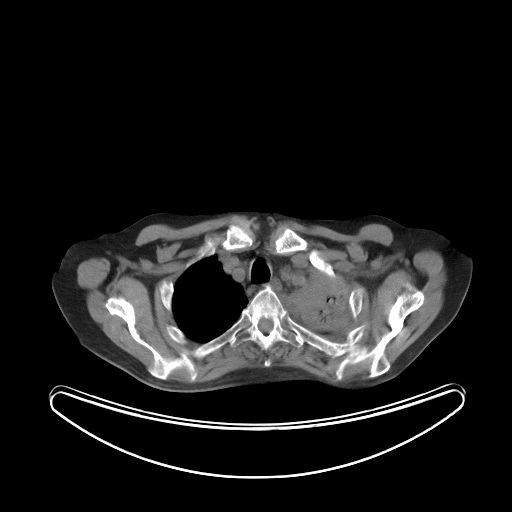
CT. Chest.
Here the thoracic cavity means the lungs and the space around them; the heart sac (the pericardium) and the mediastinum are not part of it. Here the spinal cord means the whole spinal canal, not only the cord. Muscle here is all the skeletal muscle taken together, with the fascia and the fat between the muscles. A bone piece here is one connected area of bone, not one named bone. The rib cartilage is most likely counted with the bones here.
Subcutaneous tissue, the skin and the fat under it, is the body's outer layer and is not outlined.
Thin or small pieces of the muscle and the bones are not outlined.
The bones appear in 9 outlined pieces: piece 1: [[267,285],[293,320],[331,341],[364,324],[357,344],[368,351],[391,329],[388,310],[399,295],[420,290],[424,299],[387,343],[386,372],[369,378],[368,358],[348,364],[338,380],[345,356],[306,342],[264,350],[246,340],[201,358],[189,353],[226,331]]; inner edge: [[261,318],[265,318],[266,319],[270,319],[271,320],[271,321],[272,322],[272,328],[269,331],[269,332],[268,333],[267,333],[266,334],[265,334],[264,333],[263,333],[259,329],[259,328],[258,327],[258,324],[259,323],[259,321],[261,319]]; piece 2: [[113,296],[121,296],[132,305],[137,332],[163,357],[178,357],[182,352],[188,355],[197,371],[192,382],[189,381],[184,367],[174,369],[164,380],[153,376],[148,371],[154,362],[153,354],[132,337],[126,322],[121,317],[111,314],[106,308],[107,299]]; piece 3: [[284,227],[288,227],[292,229],[296,233],[301,236],[307,242],[308,244],[307,248],[305,250],[298,250],[297,251],[294,251],[293,252],[290,252],[289,253],[286,253],[285,254],[276,253],[275,251],[275,239],[277,237],[277,236],[278,236],[283,231]]; piece 4: [[229,225],[232,225],[236,227],[240,227],[245,230],[249,234],[249,235],[253,239],[254,239],[254,241],[252,245],[244,249],[243,248],[238,248],[237,249],[234,249],[233,250],[227,250],[223,248],[221,245],[221,241],[224,238],[225,236],[225,230]]; piece 5: [[212,235],[217,235],[216,237],[218,238],[218,244],[216,247],[215,253],[212,255],[206,256],[196,261],[194,263],[191,264],[187,268],[186,268],[186,265],[189,261],[190,258],[196,252],[200,245],[205,240],[206,237],[208,236],[210,237]]; piece 6: [[313,248],[315,248],[317,249],[320,252],[321,254],[321,256],[327,262],[330,263],[332,267],[332,269],[335,274],[335,276],[334,277],[331,277],[327,275],[325,273],[315,268],[311,264],[309,260],[308,255],[309,254],[309,252],[310,250]]; piece 7: [[163,280],[166,280],[167,281],[170,280],[171,281],[172,281],[174,284],[173,285],[173,294],[172,295],[172,299],[171,300],[171,312],[170,312],[166,309],[166,308],[162,303],[162,301],[161,300],[161,298],[160,297],[160,293],[159,292],[159,287]]; piece 8: [[358,287],[361,287],[363,290],[363,293],[362,294],[362,306],[361,307],[361,310],[360,312],[356,316],[356,317],[354,318],[352,316],[351,309],[349,305],[349,296],[350,295],[350,293],[351,291],[353,289],[355,289]]; piece 9: [[168,324],[169,325],[176,325],[183,332],[183,333],[185,335],[185,336],[186,337],[186,342],[185,343],[184,343],[183,344],[181,344],[180,343],[177,343],[176,342],[173,341],[167,335],[167,334],[166,333],[166,331],[165,330],[165,326]]. The torso is outlined by [[230,210],[276,211],[300,218],[329,219],[379,214],[406,226],[431,228],[440,232],[439,255],[470,285],[450,324],[403,372],[376,386],[340,390],[311,381],[286,381],[202,392],[161,390],[80,345],[53,295],[52,273],[74,242],[121,230],[146,215]]. The left arm is outlined by [[441,232],[446,236],[447,236],[458,246],[463,249],[467,250],[471,254],[472,256],[472,260],[473,261],[473,269],[472,270],[472,276],[471,277],[471,281],[470,282],[464,279],[440,255],[440,253],[438,249],[438,244],[439,243],[439,239],[440,238]]. The muscle is outlined by [[226,214],[289,219],[345,234],[369,223],[386,225],[393,241],[381,247],[384,255],[411,260],[426,248],[441,254],[443,306],[391,367],[386,347],[424,303],[420,289],[396,297],[387,310],[390,329],[370,350],[358,344],[364,323],[344,341],[331,340],[322,335],[343,329],[361,312],[363,288],[348,292],[315,247],[308,259],[286,254],[309,245],[288,226],[274,239],[274,251],[262,242],[248,248],[255,239],[229,224],[220,241],[224,249],[216,252],[217,234],[206,236],[176,281],[161,281],[161,303],[175,322],[164,326],[166,335],[181,345],[187,338],[200,343],[188,352],[196,359],[246,341],[264,351],[276,342],[306,343],[344,356],[334,372],[338,381],[348,365],[370,359],[368,378],[332,383],[298,367],[270,366],[266,358],[266,367],[208,381],[166,380],[184,368],[192,383],[198,375],[193,360],[185,351],[165,357],[144,340],[133,305],[121,295],[109,296],[104,306],[153,362],[147,370],[113,343],[87,310],[77,267],[92,257],[112,264],[149,259],[148,246],[135,245],[144,227],[180,228]]. The mediastinum is outlined by [[262,243],[267,245],[276,254],[299,254],[308,260],[311,265],[309,267],[309,276],[297,288],[290,292],[278,295],[273,288],[267,284],[256,291],[249,299],[243,286],[234,280],[230,275],[225,273],[216,253],[219,253],[223,250],[239,252],[255,248]]. The thoracic cavity appears in 2 outlined pieces: piece 1: [[215,254],[221,264],[224,273],[230,276],[234,281],[239,283],[242,286],[244,293],[249,300],[247,304],[241,310],[238,318],[226,330],[217,336],[201,343],[187,337],[184,332],[176,324],[172,312],[174,285],[180,276],[191,265],[206,257],[209,257]]; piece 2: [[311,266],[331,278],[335,277],[344,286],[347,292],[349,293],[348,305],[352,317],[343,328],[339,330],[335,330],[329,334],[322,334],[321,335],[297,322],[292,318],[288,310],[284,306],[279,297],[279,296],[290,293],[297,289],[310,276],[310,267]]. The spinal cord is outlined by [[261,318],[265,318],[266,319],[270,319],[271,320],[271,321],[272,322],[272,328],[269,331],[269,332],[268,333],[267,333],[266,334],[265,334],[264,333],[263,333],[259,329],[259,328],[258,327],[258,324],[259,323],[259,321],[261,319]].